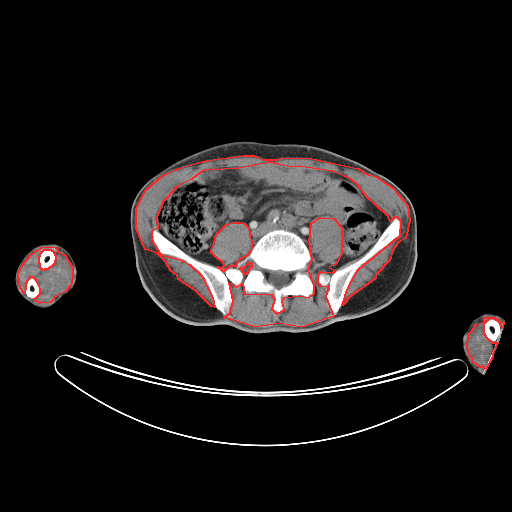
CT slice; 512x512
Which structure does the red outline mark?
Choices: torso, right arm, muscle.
red: muscle.
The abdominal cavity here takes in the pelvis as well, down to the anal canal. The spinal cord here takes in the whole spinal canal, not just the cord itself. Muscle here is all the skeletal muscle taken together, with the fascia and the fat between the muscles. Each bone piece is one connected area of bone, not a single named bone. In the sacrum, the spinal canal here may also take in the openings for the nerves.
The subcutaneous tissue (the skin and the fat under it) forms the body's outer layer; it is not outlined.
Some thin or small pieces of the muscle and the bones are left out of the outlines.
Outlines (x, y in pixels):
muscle 1: (243, 155) (254, 155) (263, 159) (276, 159) (281, 157) (311, 158) (358, 168) (365, 173) (375, 176) (392, 187) (407, 205) (409, 220) (405, 238) (398, 242) (392, 250) (389, 260) (375, 275) (375, 278) (350, 296) (342, 305) (347, 289) (358, 269) (400, 235) (401, 221) (397, 217) (394, 217) (390, 221) (388, 216) (366, 196) (357, 184) (351, 179) (332, 171) (298, 166) (291, 167) (270, 162) (238, 168) (203, 170) (191, 179) (177, 186) (162, 202) (156, 217) (157, 228) (151, 231) (151, 239) (160, 254) (180, 259) (189, 264) (200, 274) (212, 297) (214, 307) (211, 306) (195, 290) (178, 279) (177, 275) (171, 271) (165, 261) (157, 253) (145, 249) (136, 228) (136, 209) (145, 190) (164, 174) (183, 166) (206, 160)
muscle 2: (320, 217) (333, 218) (342, 228) (341, 253) (335, 264) (329, 267) (335, 270) (332, 273) (320, 272) (317, 275) (317, 282) (321, 286) (328, 285) (325, 296) (333, 316) (301, 327) (279, 323) (255, 327) (224, 317) (230, 312) (233, 301) (229, 282) (236, 286) (242, 283) (244, 293) (271, 294) (274, 299) (271, 308) (276, 313) (284, 309) (282, 301) (284, 297) (299, 295) (308, 297) (314, 293) (314, 284) (308, 270) (312, 259) (309, 242) (311, 223)
muscle 3: (48, 246) (55, 247) (59, 252) (64, 254) (72, 267) (72, 278) (70, 285) (65, 291) (55, 296) (50, 302) (40, 303) (34, 299) (40, 293) (40, 288) (36, 280) (33, 277) (30, 277) (26, 281) (24, 293) (20, 288) (18, 274) (22, 265) (31, 254) (41, 247) with a hole at (44, 249) (50, 249) (51, 250) (52, 250) (53, 251) (53, 252) (55, 255) (55, 260) (54, 261) (53, 264) (50, 267) (49, 267) (47, 269) (44, 269) (43, 270) (42, 269) (41, 269) (41, 268) (40, 267) (40, 264) (39, 263) (39, 256) (40, 255) (41, 252)
muscle 4: (233, 222) (241, 222) (244, 223) (247, 226) (249, 232) (249, 236) (251, 240) (251, 248) (249, 253) (239, 260) (236, 263) (235, 266) (229, 266) (223, 271) (218, 267) (223, 266) (224, 265) (223, 262) (218, 259) (211, 252) (211, 249) (214, 243) (216, 234) (226, 224)
muscle 5: (485, 317) (494, 317) (503, 322) (502, 328) (500, 323) (494, 318) (489, 318) (483, 324) (483, 332) (486, 337) (492, 342) (497, 342) (492, 354) (492, 357) (485, 369) (482, 366) (480, 367) (472, 361) (472, 358) (470, 356) (467, 347) (468, 335) (476, 324) (484, 321)
muscle 6: (249, 262) (250, 262) (251, 263) (251, 267) (250, 267) (249, 268) (249, 269) (247, 271) (247, 272) (246, 273) (246, 274) (245, 274) (243, 272) (243, 271) (241, 269) (241, 267) (244, 267)
right arm: (44, 243) (56, 243) (62, 246) (68, 251) (71, 255) (76, 266) (76, 279) (73, 287) (69, 292) (65, 294) (51, 306) (49, 307) (44, 307) (43, 308) (33, 305) (21, 296) (15, 285) (15, 280) (14, 278) (15, 277) (15, 272) (17, 266) (24, 255) (35, 246)
left arm: (487, 312) (492, 312) (498, 314) (502, 316) (505, 320) (496, 347) (492, 354) (492, 357) (490, 359) (485, 369) (484, 373) (481, 374) (476, 371) (470, 365) (468, 358) (466, 357) (463, 351) (463, 348) (462, 347) (462, 337) (472, 320) (479, 315)
abdominal cavity: (269, 163) (343, 176) (389, 222) (360, 257) (336, 269) (330, 267) (342, 253) (343, 228) (329, 216) (311, 221) (309, 249) (300, 235) (285, 228) (267, 231) (252, 247) (248, 226) (228, 222) (215, 234) (210, 249) (223, 265) (199, 260) (158, 229) (163, 202) (203, 171)
torso: (241, 139) (318, 146) (351, 158) (395, 183) (411, 201) (417, 222) (417, 261) (413, 276) (401, 294) (389, 305) (371, 314) (309, 331) (254, 333) (225, 324) (193, 325) (172, 317) (156, 304) (144, 289) (136, 269) (130, 210) (137, 192) (152, 176) (171, 163) (208, 146)
spinal cord: (266, 269) (267, 270) (275, 270) (276, 271) (287, 271) (288, 272) (294, 272) (294, 274) (293, 275) (293, 277) (292, 279) (291, 279) (285, 285) (281, 287) (279, 287) (278, 288) (276, 287) (273, 284) (272, 284) (268, 280) (268, 277) (266, 273)
bones 1: (154, 229) (186, 254) (223, 272) (235, 267) (267, 232) (274, 229) (294, 232) (310, 252) (307, 270) (313, 293) (284, 296) (283, 309) (276, 312) (271, 293) (244, 292) (242, 282) (236, 285) (229, 281) (232, 301) (229, 312) (223, 315) (194, 267) (159, 252) (152, 239); inner edges: (266, 269) (267, 270) (275, 270) (276, 271) (287, 271) (288, 272) (294, 272) (294, 274) (293, 275) (293, 277) (292, 279) (291, 279) (285, 285) (281, 287) (279, 287) (278, 288) (276, 287) (273, 284) (272, 284) (268, 280) (268, 277) (266, 273), then (249, 262) (250, 262) (251, 263) (251, 267) (250, 267) (249, 268) (249, 269) (247, 271) (247, 272) (246, 273) (246, 274) (245, 274) (243, 272) (243, 271) (241, 269) (241, 267) (244, 267)
bones 2: (394, 218) (397, 218) (400, 221) (399, 235) (365, 261) (357, 269) (346, 289) (345, 296) (339, 310) (335, 315) (332, 315) (326, 296) (329, 290) (329, 285) (321, 285) (318, 282) (318, 275) (320, 273) (332, 274) (337, 269) (341, 269) (356, 261) (377, 241) (388, 224)
bones 3: (489, 319) (494, 319) (496, 320) (499, 323) (499, 325) (501, 326) (501, 328) (502, 329) (501, 330) (501, 333) (500, 334) (500, 336) (499, 337) (499, 339) (498, 341) (492, 341) (487, 337) (487, 336) (484, 332) (484, 324) (485, 322)
bones 4: (44, 249) (50, 249) (51, 250) (52, 250) (53, 251) (53, 252) (55, 255) (55, 260) (54, 261) (53, 264) (50, 267) (49, 267) (47, 269) (44, 269) (43, 270) (42, 269) (41, 269) (41, 268) (40, 267) (40, 264) (39, 263) (39, 256) (40, 255) (41, 252)
bones 5: (30, 278) (33, 278) (35, 280) (35, 281) (37, 283) (37, 285) (39, 288) (39, 293) (38, 294) (38, 295) (36, 297) (34, 297) (33, 298) (31, 298) (30, 297) (29, 297) (26, 294) (26, 293) (25, 292) (25, 285) (26, 284) (26, 283) (27, 282) (27, 281)